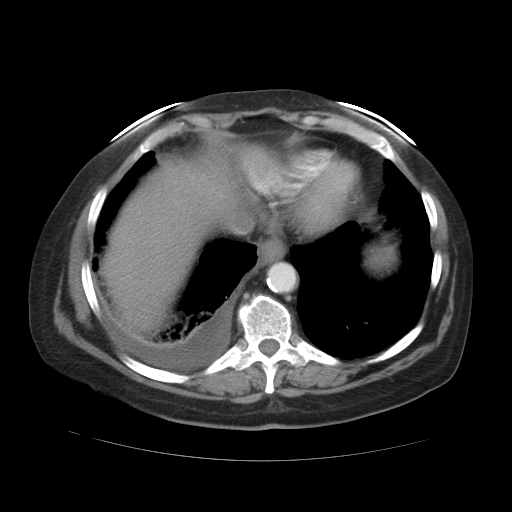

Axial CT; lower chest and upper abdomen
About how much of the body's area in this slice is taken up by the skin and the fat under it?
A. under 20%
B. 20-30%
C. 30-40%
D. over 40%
Answer: B. 20-30%
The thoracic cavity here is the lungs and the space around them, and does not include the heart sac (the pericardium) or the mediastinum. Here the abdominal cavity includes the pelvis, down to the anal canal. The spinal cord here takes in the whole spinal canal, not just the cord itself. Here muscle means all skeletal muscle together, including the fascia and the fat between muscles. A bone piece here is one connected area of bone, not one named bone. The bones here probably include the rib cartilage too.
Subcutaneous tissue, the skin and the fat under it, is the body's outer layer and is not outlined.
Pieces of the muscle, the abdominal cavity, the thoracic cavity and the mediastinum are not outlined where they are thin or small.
The pericardium is outlined by 306 136; 321 137; 355 154; 361 161; 365 170; 366 191; 359 211; 333 231; 310 242; 289 243; 265 229; 256 219; 253 210; 254 207; 248 200; 244 190; 244 174; 245 171; 257 165; 276 164; 286 161; 292 154; 296 145. The abdominal cavity appears in 2 outlined pieces: piece 1: 263 114; 302 128; 307 135; 286 160; 244 171; 243 190; 255 216; 251 227; 207 244; 177 304; 177 321; 147 342; 128 335; 114 321; 94 284; 95 254; 105 243; 105 232; 124 198; 155 163; 156 152; 186 142; 183 132; 223 128; piece 2: 365 197; 365 204; 367 206; 371 206; 378 200; 379 209; 387 214; 385 223; 386 228; 401 227; 406 232; 400 246; 401 266; 397 272; 381 281; 369 278; 360 267; 359 250; 362 243; 362 233; 359 224; 354 220; 349 220; 360 211. The thoracic cavity appears in 3 outlined pieces: piece 1: 384 159; 420 195; 433 252; 429 287; 418 321; 399 339; 379 352; 342 359; 313 345; 293 328; 301 276; 290 250; 354 221; 361 233; 358 264; 363 273; 376 282; 397 273; 407 232; 401 226; 386 227; 388 214; 379 207; 386 186; piece 2: 221 238; 246 242; 255 247; 255 261; 240 278; 236 288; 233 344; 207 366; 184 373; 148 365; 126 353; 110 329; 100 307; 95 286; 107 312; 124 333; 143 343; 155 340; 180 319; 181 312; 178 310; 178 304; 204 250; 208 244; piece 3: 152 150; 155 153; 154 163; 136 178; 135 183; 125 197; 123 198; 121 203; 117 208; 113 218; 104 232; 104 238; 105 239; 104 243; 99 248; 99 250; 95 253; 93 246; 94 229; 101 209; 108 194; 135 162; 145 153. The mediastinum appears in 3 outlined pieces: piece 1: 255 218; 265 230; 289 244; 308 243; 294 245; 289 250; 289 259; 300 276; 295 314; 283 303; 262 292; 253 294; 247 301; 242 301; 236 305; 238 285; 241 278; 256 261; 256 247; 246 241; 235 240; 226 236; 245 234; 252 227; piece 2: 302 129; 323 129; 331 132; 345 134; 365 144; 381 155; 384 158; 383 159; 383 180; 385 183; 385 186; 377 201; 372 203; 371 205; 366 204; 366 192; 367 191; 366 170; 362 161; 355 153; 321 136; 308 135; piece 3: 180 135; 182 135; 183 136; 183 139; 185 140; 185 142; 184 142; 183 144; 181 145; 178 145; 177 146; 175 146; 169 150; 166 150; 165 151; 156 151; 155 152; 154 149; 159 144; 160 144; 168 138; 171 138; 174 136; 179 136. The spinal cord is outlined by 266 339; 273 339; 274 340; 275 340; 278 343; 278 344; 279 345; 279 346; 278 347; 278 348; 277 349; 277 350; 275 352; 274 352; 271 355; 267 355; 266 354; 265 354; 264 353; 263 353; 259 349; 259 344; 263 340; 265 340. The bones appear in 10 outlined pieces: piece 1: 259 293; 283 304; 291 313; 293 330; 313 346; 338 358; 340 364; 309 360; 303 366; 294 366; 280 360; 273 377; 274 391; 269 394; 265 392; 267 379; 259 361; 241 370; 226 367; 203 374; 206 367; 242 336; 236 320; 237 306, around a hole outlined by 266 339; 273 339; 274 340; 275 340; 278 343; 278 344; 279 345; 279 346; 278 347; 278 348; 277 349; 277 350; 275 352; 274 352; 271 355; 267 355; 266 354; 265 354; 264 353; 263 353; 259 349; 259 344; 263 340; 265 340; piece 2: 308 115; 317 116; 320 118; 335 117; 345 119; 381 134; 389 142; 397 159; 396 162; 394 163; 391 160; 385 158; 365 143; 348 134; 327 130; 324 129; 321 125; 314 125; 311 128; 303 128; 302 127; 303 125; 300 120; 304 116; piece 3: 118 353; 124 353; 130 357; 148 366; 154 368; 166 370; 170 372; 175 372; 180 374; 186 374; 187 375; 190 375; 191 377; 188 380; 182 383; 171 383; 170 382; 164 382; 163 381; 152 379; 133 370; 127 366; 118 357; piece 4: 180 121; 184 121; 186 122; 186 125; 183 128; 181 133; 176 134; 171 137; 168 137; 159 143; 153 149; 145 152; 136 161; 134 162; 133 161; 132 158; 138 146; 151 133; 156 131; 158 129; 163 128; 166 126; 168 126; 171 124; piece 5: 421 320; 423 320; 424 321; 424 326; 422 330; 415 338; 415 339; 404 349; 395 355; 387 359; 385 359; 375 363; 370 363; 369 364; 364 363; 366 360; 373 358; 375 356; 378 355; 382 351; 385 350; 399 340; piece 6: 84 261; 88 261; 91 264; 91 276; 92 277; 92 281; 94 286; 95 294; 100 308; 100 314; 99 316; 97 316; 93 312; 88 302; 88 300; 86 297; 86 295; 82 285; 82 281; 81 280; 81 265; piece 7: 103 186; 106 186; 107 188; 107 195; 100 209; 100 211; 97 217; 97 219; 96 220; 94 228; 88 228; 87 226; 87 218; 88 217; 88 213; 89 212; 89 209; 90 208; 90 205; 91 204; 91 202; 94 196; 98 191; 98 190; piece 8: 423 189; 426 190; 430 194; 435 205; 435 208; 437 213; 437 226; 435 229; 431 229; 430 228; 429 219; 428 218; 428 216; 427 215; 427 213; 426 212; 426 210; 425 209; 425 207; 424 206; 424 204; 420 194; 421 190; piece 9: 436 250; 438 250; 441 253; 441 256; 442 257; 442 263; 441 264; 441 272; 440 273; 439 280; 437 283; 436 287; 434 289; 433 289; 430 287; 430 282; 431 281; 431 272; 432 271; 432 265; 433 264; 433 255; 434 254; 434 252; piece 10: 196 115; 197 116; 202 116; 203 117; 208 118; 211 121; 211 125; 209 127; 206 127; 204 128; 203 127; 199 127; 198 126; 196 126; 195 125; 193 125; 189 123; 188 122; 188 119; 190 117; 192 117. The muscle is outlined by 268 106; 330 111; 361 124; 308 114; 300 118; 299 127; 263 113; 208 128; 212 121; 196 114; 187 122; 202 129; 183 131; 187 122; 180 120; 151 132; 133 153; 134 163; 110 191; 103 185; 93 196; 86 226; 93 229; 94 255; 91 263; 81 263; 80 280; 92 312; 99 317; 101 310; 125 352; 118 352; 117 357; 133 371; 171 384; 188 381; 192 377; 188 372; 203 369; 201 373; 206 376; 226 368; 241 371; 259 362; 266 379; 264 392; 269 395; 275 391; 280 361; 294 367; 309 361; 337 366; 340 359; 379 353; 363 362; 369 365; 404 350; 425 326; 425 321; 419 320; 429 288; 434 290; 440 280; 443 257; 430 243; 430 231; 438 226; 435 202; 426 189; 419 192; 395 164; 398 159; 391 144; 436 195; 447 219; 451 259; 455 257; 457 266; 453 316; 440 344; 406 368; 343 391; 294 397; 276 394; 251 403; 234 403; 184 396; 140 383; 59 334; 53 319; 59 277; 67 267; 76 220; 96 187; 144 137; 178 115. The torso is outlined by 266 88; 314 92; 397 130; 433 163; 454 193; 472 241; 473 297; 464 350; 451 379; 411 402; 348 422; 240 430; 190 425; 149 415; 107 400; 50 369; 40 358; 29 331; 29 271; 40 231; 76 173; 114 138; 152 114; 210 93.